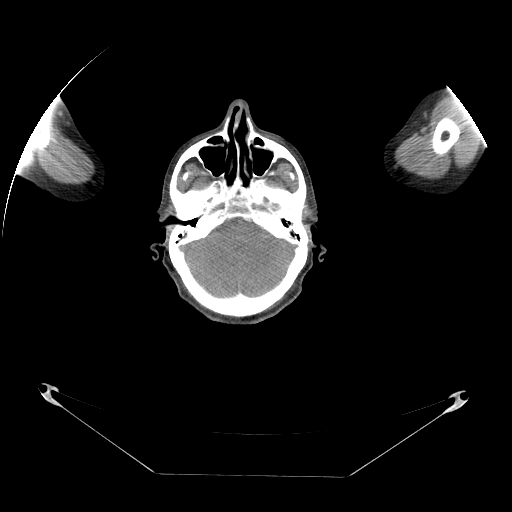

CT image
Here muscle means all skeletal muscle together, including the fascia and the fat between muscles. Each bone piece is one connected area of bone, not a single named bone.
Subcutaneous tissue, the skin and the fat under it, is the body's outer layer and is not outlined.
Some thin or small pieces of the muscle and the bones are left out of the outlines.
The brain is outlined by [[235,218],[241,218],[246,222],[251,222],[275,238],[281,239],[294,246],[293,255],[281,278],[272,287],[257,295],[248,295],[241,291],[225,296],[213,294],[197,280],[190,268],[185,256],[185,252],[182,248],[187,244],[205,238],[213,230],[226,221]]. The left arm is outlined by [[440,87],[448,87],[463,104],[476,124],[480,133],[485,138],[486,150],[483,153],[483,155],[473,173],[463,185],[457,190],[448,194],[426,194],[406,188],[392,179],[384,169],[382,162],[382,156],[385,144],[401,128],[420,99],[428,92]]. The head is outlined by [[236,97],[248,102],[260,128],[289,140],[304,158],[318,205],[312,239],[327,249],[321,262],[313,249],[312,267],[289,305],[248,325],[215,322],[194,309],[168,275],[163,248],[156,248],[156,260],[149,248],[164,240],[156,210],[172,156],[215,127]] with holes at [[206,147],[223,147],[224,148],[224,159],[226,161],[229,157],[230,154],[230,162],[229,163],[229,166],[225,171],[224,170],[222,171],[218,175],[215,175],[213,173],[213,172],[208,167],[206,166],[205,162],[202,158],[201,154],[200,153],[201,150]] and at [[254,149],[261,149],[262,150],[264,150],[271,153],[271,158],[269,160],[269,162],[267,166],[260,174],[257,174],[253,170],[249,172],[248,168],[247,167],[247,162],[246,161],[247,158],[250,161],[251,166],[252,167],[253,166],[253,150]] and at [[244,112],[244,117],[245,118],[245,125],[246,126],[246,130],[243,136],[243,146],[244,148],[242,152],[242,162],[241,163],[241,148],[240,147],[240,144],[237,138],[237,131],[240,126],[240,123],[241,122],[241,118],[242,117],[242,114]] and at [[232,145],[235,151],[235,158],[236,159],[236,169],[235,170],[235,174],[232,180],[232,182],[230,184],[229,184],[227,181],[227,178],[226,176],[230,173],[231,170],[233,168],[233,153],[232,152]] and at [[236,107],[237,107],[238,108],[238,109],[234,113],[234,114],[233,115],[233,123],[232,124],[232,127],[231,128],[231,132],[232,133],[232,136],[231,137],[229,134],[229,124],[230,123],[231,118],[233,115],[233,111],[234,110],[234,109]] and at [[241,171],[242,171],[243,172],[243,173],[247,177],[247,178],[248,179],[248,182],[247,183],[247,185],[244,185],[244,184],[243,183],[243,180],[242,179],[242,178],[241,177]] and at [[214,137],[220,137],[221,138],[221,141],[220,142],[212,142],[211,141],[210,141],[210,140],[212,138],[213,138]]. The bones appear in 3 outlined pieces: piece 1: [[239,108],[243,112],[236,138],[240,148],[241,164],[247,130],[245,112],[250,116],[254,129],[286,147],[301,168],[306,184],[302,216],[309,229],[309,241],[306,262],[281,298],[259,313],[235,317],[216,313],[196,301],[172,265],[168,254],[170,231],[168,227],[177,220],[173,217],[175,210],[169,196],[168,185],[182,152],[197,141],[219,131],[228,114],[232,112],[228,134],[231,138],[233,136],[234,115]]; inner edges: [[235,218],[241,218],[246,222],[251,222],[275,238],[281,239],[294,246],[293,255],[281,278],[272,287],[257,295],[248,295],[241,291],[225,296],[213,294],[197,280],[190,268],[185,256],[185,252],[182,248],[187,244],[205,238],[213,230],[226,221]], then [[192,158],[195,158],[201,165],[203,169],[202,173],[203,174],[207,174],[209,176],[210,176],[212,178],[212,179],[206,185],[200,188],[190,187],[185,191],[181,191],[179,190],[177,187],[177,180],[178,179],[178,175],[183,165],[188,160]], then [[279,159],[284,159],[286,160],[288,162],[289,162],[293,167],[293,169],[294,170],[294,172],[297,179],[297,187],[296,189],[293,191],[291,191],[285,187],[269,183],[267,181],[267,177],[268,176],[272,176],[275,173],[275,171],[272,168],[274,164]], then [[206,147],[223,147],[224,148],[224,159],[226,161],[229,157],[230,154],[230,162],[229,163],[229,166],[225,171],[224,170],[222,171],[218,175],[215,175],[213,173],[213,172],[208,167],[206,166],[205,162],[202,158],[201,154],[200,153],[201,150]], then [[254,149],[261,149],[262,150],[264,150],[271,153],[271,158],[269,160],[269,162],[267,166],[260,174],[257,174],[253,170],[249,172],[248,168],[247,167],[247,162],[246,161],[247,158],[250,161],[251,166],[252,167],[253,166],[253,150]], then [[232,145],[235,151],[235,158],[236,159],[236,169],[235,170],[235,174],[232,180],[232,182],[230,184],[229,184],[227,181],[227,178],[226,176],[230,173],[231,170],[233,168],[233,153],[232,152]], then [[241,171],[242,171],[243,172],[243,173],[247,177],[247,178],[248,179],[248,182],[247,183],[247,185],[244,185],[244,184],[243,183],[243,180],[242,179],[242,178],[241,177]], then [[214,137],[220,137],[221,138],[221,141],[220,142],[212,142],[211,141],[210,141],[210,140],[212,138],[213,138]]; piece 2: [[448,115],[455,121],[457,125],[457,127],[460,131],[460,134],[458,139],[453,144],[453,145],[448,150],[448,151],[442,155],[439,155],[435,153],[432,149],[432,147],[431,146],[431,139],[433,135],[433,132],[439,120],[440,120],[443,117]]; piece 3: [[44,114],[48,117],[50,121],[50,143],[49,145],[45,149],[43,150],[40,150],[39,151],[37,150],[35,150],[33,151],[29,148],[27,148],[26,143],[32,131],[34,129],[36,124],[40,119],[41,116]]. The muscle appears in 8 outlined pieces: piece 1: [[449,94],[454,94],[463,104],[483,137],[481,142],[482,145],[479,148],[473,161],[467,167],[460,169],[443,179],[424,178],[411,172],[408,172],[399,166],[395,166],[394,159],[395,149],[403,140],[407,138],[416,129],[423,112],[431,107],[439,97]], around a hole outlined by [[448,115],[455,121],[457,125],[457,127],[460,131],[460,134],[458,139],[453,144],[453,145],[448,150],[448,151],[442,155],[439,155],[435,153],[432,149],[432,147],[431,146],[431,139],[433,135],[433,132],[439,120],[440,120],[443,117]]; piece 2: [[55,99],[60,121],[67,135],[84,151],[94,164],[95,172],[91,179],[85,183],[62,184],[51,178],[42,177],[35,173],[21,170],[22,169],[17,165],[19,163],[25,145],[27,149],[33,152],[43,151],[50,145],[51,121],[49,117],[43,113]]; piece 3: [[192,158],[195,158],[201,165],[203,169],[202,173],[203,174],[207,174],[209,176],[210,176],[212,178],[212,179],[206,185],[200,188],[190,187],[185,191],[181,191],[179,190],[177,187],[177,180],[178,179],[178,175],[183,165],[188,160]]; piece 4: [[279,159],[284,159],[286,160],[288,162],[289,162],[293,167],[293,169],[294,170],[294,172],[297,179],[297,187],[296,189],[293,191],[291,191],[285,187],[269,183],[267,181],[267,177],[268,176],[272,176],[275,173],[275,171],[272,168],[274,164]]; piece 5: [[297,278],[297,282],[293,290],[282,301],[281,301],[277,305],[276,305],[274,307],[266,311],[264,311],[266,310],[269,307],[270,307],[273,304],[274,304],[277,301],[281,299],[282,297],[292,286],[295,280]]; piece 6: [[266,136],[270,136],[273,138],[275,138],[278,140],[280,140],[282,142],[283,142],[285,144],[285,145],[286,146],[287,146],[287,147],[286,146],[285,146],[283,144],[278,142],[276,140],[275,140],[272,138],[270,138],[269,137],[267,137]]; piece 7: [[290,150],[291,150],[293,152],[293,153],[297,157],[297,158],[299,160],[299,161],[301,164],[301,166],[302,167],[302,169],[302,168],[300,166],[300,165],[299,164],[298,161],[296,159],[296,158],[294,156],[294,155],[291,152],[291,151]]; piece 8: [[178,275],[179,276],[179,277],[180,278],[180,279],[181,280],[182,283],[186,288],[186,289],[187,290],[188,293],[187,292],[186,292],[185,291],[185,290],[183,288],[183,287],[182,286],[182,284],[181,283],[181,282],[180,281],[180,280],[178,277]]. The right arm is outlined by [[57,96],[60,100],[62,100],[66,104],[80,133],[100,157],[105,168],[105,183],[102,189],[95,196],[85,201],[71,202],[58,199],[48,192],[38,189],[31,182],[16,174],[15,167],[19,163],[25,145],[32,131],[45,110],[53,100],[57,98]].